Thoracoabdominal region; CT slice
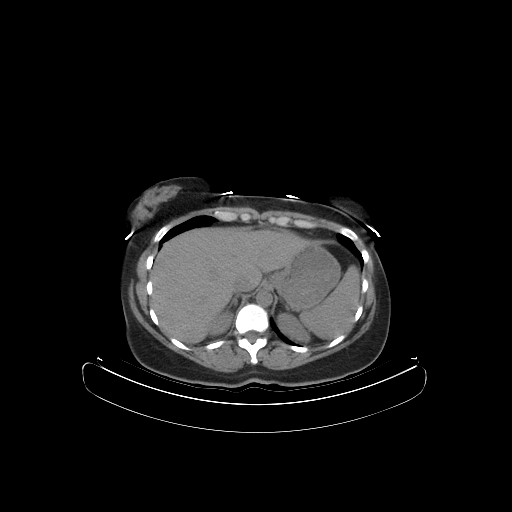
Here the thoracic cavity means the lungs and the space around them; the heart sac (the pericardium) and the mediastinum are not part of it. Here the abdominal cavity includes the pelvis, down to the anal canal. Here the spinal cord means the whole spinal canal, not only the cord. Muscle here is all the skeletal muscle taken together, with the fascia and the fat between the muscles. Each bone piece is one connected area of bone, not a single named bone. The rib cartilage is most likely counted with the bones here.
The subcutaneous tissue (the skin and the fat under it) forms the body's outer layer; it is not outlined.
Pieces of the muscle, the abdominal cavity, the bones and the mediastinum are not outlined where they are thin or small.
Outlines (x, y in pixels):
spinal cord: 251,330 253,330 254,331 256,331 257,332 258,332 261,334 261,336 260,336 259,337 258,337 255,340 255,341 252,343 251,343 244,336 244,335 246,332 247,332 248,331 250,331
bones 1: 248,303 254,303 261,306 267,312 269,318 269,327 265,332 267,343 257,351 256,353 257,363 256,364 251,363 250,361 251,358 249,353 244,348 238,345 237,336 234,334 235,330 234,323 236,314 241,307 with a hole at 251,330 253,330 254,331 256,331 257,332 258,332 261,334 261,336 260,336 259,337 258,337 255,340 255,341 252,343 251,343 244,336 244,335 246,332 247,332 248,331 250,331
bones 2: 271,216 273,217 286,216 292,219 307,220 312,222 316,222 317,225 315,227 312,227 311,228 296,227 291,223 290,223 288,226 283,226 274,223 270,223 268,221 268,218
bones 3: 216,210 219,211 230,211 231,212 235,212 237,214 240,214 241,213 249,213 251,215 251,218 249,221 246,221 245,222 244,221 241,221 240,219 234,221 223,221 217,219 213,216 213,213
bones 4: 168,223 171,223 172,224 173,224 173,225 174,226 173,226 160,239 160,240 158,242 157,242 156,243 155,242 153,242 153,238 154,237 155,234 157,232 157,231 162,226 163,226 164,225 165,225
bones 5: 342,226 345,226 346,227 351,229 353,231 354,231 357,234 357,235 358,236 358,239 357,240 356,240 354,242 350,238 349,238 347,236 346,236 345,235 344,235 339,232 337,232 338,229 340,227 341,227
bones 6: 222,339 223,340 224,340 224,343 223,344 222,344 220,346 219,346 218,347 216,347 215,348 213,348 210,350 207,350 205,348 205,345 206,345 211,342 213,342 214,341 216,341 217,340 221,340
bones 7: 170,337 173,337 174,338 175,338 176,339 177,339 179,341 180,341 185,345 186,345 187,346 188,346 190,348 190,350 185,350 184,349 182,349 181,348 180,348 179,347 178,347 177,346 176,346 170,340
bones 8: 287,345 297,345 298,346 307,346 308,347 308,350 306,352 298,352 297,351 294,351 293,350 292,350 291,349 290,349 287,346
bones 9: 342,334 344,334 345,335 345,337 340,342 339,342 337,344 336,344 335,345 334,345 333,346 332,346 331,347 326,347 326,345 327,345 331,341 332,341 335,338 336,338 338,336 339,336 340,335 341,335
bones 10: 361,249 366,249 367,250 367,251 368,252 368,254 369,255 369,260 367,262 367,263 366,263 365,264 364,264 364,263 363,262 363,258 362,257 362,255 361,254 361,252 360,251 360,250
bones 11: 151,307 153,309 153,310 154,311 154,312 155,313 155,314 157,317 157,319 158,320 158,322 159,323 159,325 156,325 153,322 153,321 151,319 151,317 150,316 150,314 149,313 149,310
bones 12: 150,254 153,254 154,255 154,256 153,257 153,261 152,262 152,264 151,265 151,268 150,269 149,269 148,270 146,268 146,266 145,265 146,264 146,259 147,258 147,257
bones 13: 359,305 361,305 362,306 362,311 361,312 361,314 360,315 360,316 359,317 359,318 355,322 354,322 353,321 353,320 354,319 354,316 355,315 355,314 356,313 356,311 357,310 357,309 358,308 358,306
muscle 1: 156,231 152,238 152,242 157,243 155,253 146,257 144,265 149,270 145,289 152,322 185,351 191,350 189,346 204,345 207,351 218,348 233,331 252,365 234,372 205,367 165,346 136,319 128,299 129,279 136,260
muscle 2: 359,236 370,250 377,279 377,305 369,328 346,347 293,368 273,370 261,365 256,365 258,363 258,351 268,343 266,332 270,327 276,335 287,344 286,346 290,350 298,353 306,353 309,350 308,346 327,344 325,347 331,348 346,337 345,333 362,314 362,294 367,291 369,285 368,280 363,276 363,267 370,260 370,255 366,248 359,249 355,244
muscle 3: 219,206 248,206 254,208 260,212 267,210 287,210 327,219 342,225 336,231 334,231 324,227 316,227 318,225 316,221 301,218 292,218 286,215 278,216 271,215 267,218 268,222 260,222 256,220 250,220 252,218 252,215 249,212 237,213 235,211 218,209 216,209 212,213 212,215 208,214 195,215 174,225 173,223 168,222 169,221 190,211
abdominal cavity: 250,221 293,226 305,238 331,238 354,254 362,267 361,300 344,333 328,343 298,345 270,319 275,294 269,287 245,300 225,338 187,345 160,326 150,302 150,270 157,245 160,248 190,228 244,226
thoracic cavity 1: 199,215 212,216 216,219 215,221 207,225 198,225 194,227 190,227 188,229 185,229 179,233 176,233 175,235 173,235 164,241 163,243 161,244 160,247 159,247 158,243 173,227 186,221 190,218
thoracic cavity 2: 337,233 339,233 347,237 354,243 354,244 360,252 360,254 362,258 362,262 363,263 363,265 362,266 358,258 355,255 355,254 345,245 344,245 342,243 338,241 337,239
thoracic cavity 3: 270,320 271,320 273,322 273,323 276,326 276,327 279,330 279,331 284,336 285,336 289,340 290,340 292,342 293,342 294,343 297,344 288,344 287,343 286,343 283,340 282,340 271,328 271,327 270,326
torso: 179,176 203,177 225,194 324,203 323,193 328,191 365,203 376,223 366,230 382,262 391,296 389,331 378,357 359,373 305,387 251,382 214,388 143,369 128,347 120,303 120,263 130,239 123,213 150,185
pericardium: 294,228 300,228 301,229 302,229 303,230 305,230 307,232 309,232 311,234 312,234 315,237 305,237 304,236 303,236 302,235 301,235 299,233 298,233 298,232 297,231 295,231 295,230 294,229
mediastinum 1: 266,288 269,288 269,289 271,290 274,294 274,303 273,304 273,307 271,310 271,313 269,315 269,317 269,314 268,312 261,305 254,302 248,302 245,304 246,300 251,298 257,291 259,291 262,289 265,289
mediastinum 2: 302,228 305,228 306,229 311,229 312,228 324,228 325,229 327,229 328,230 331,230 334,232 336,232 336,239 334,239 331,237 325,237 324,236 315,236 312,233 311,233 309,231 307,231 305,229 303,229